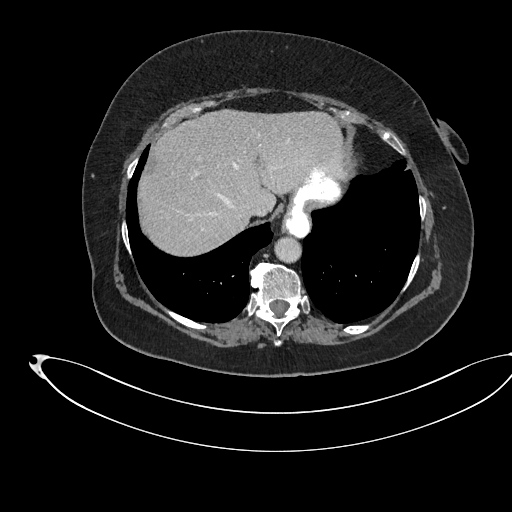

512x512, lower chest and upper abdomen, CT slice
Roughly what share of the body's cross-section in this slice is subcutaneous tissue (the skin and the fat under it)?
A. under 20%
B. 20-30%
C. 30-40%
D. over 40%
C. 30-40%
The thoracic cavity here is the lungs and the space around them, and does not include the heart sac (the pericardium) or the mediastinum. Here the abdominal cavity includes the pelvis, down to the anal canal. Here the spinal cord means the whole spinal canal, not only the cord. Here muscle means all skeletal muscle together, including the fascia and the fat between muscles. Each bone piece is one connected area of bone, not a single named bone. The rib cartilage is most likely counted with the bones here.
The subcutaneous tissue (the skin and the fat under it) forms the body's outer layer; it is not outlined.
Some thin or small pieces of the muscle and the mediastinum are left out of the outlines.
The spinal cord is outlined by 275 300; 282 300; 283 301; 285 301; 286 302; 287 302; 287 303; 288 304; 288 307; 287 308; 287 309; 283 313; 283 315; 282 316; 276 316; 275 315; 275 314; 274 313; 274 312; 270 308; 270 303; 271 302; 272 302. The mediastinum appears in 3 outlined pieces: piece 1: 358 124; 364 126; 376 134; 382 141; 391 147; 399 155; 398 157; 394 159; 386 167; 384 167; 376 172; 357 177; 357 172; 354 164; 352 145; 353 144; 353 139; 355 133; 355 128; 356 125; piece 2: 274 224; 282 224; 292 232; 298 232; 299 234; 303 234; 304 232; 307 232; 310 229; 310 224; 310 230; 303 238; 302 243; 300 275; 293 268; 280 262; 260 260; 250 267; 250 261; 253 255; 270 243; 273 237; 271 226; piece 3: 271 92; 286 93; 289 95; 300 98; 306 102; 320 108; 307 109; 299 111; 266 112; 265 111; 235 109; 234 108; 219 108; 218 107; 197 116; 188 117; 184 119; 182 118; 192 114; 195 114; 206 108; 209 108; 226 101. The torso is outlined by 232 29; 315 36; 367 54; 409 83; 431 115; 465 144; 469 161; 456 164; 474 219; 470 279; 449 321; 416 349; 342 371; 258 377; 148 356; 120 343; 100 322; 91 294; 81 189; 85 159; 103 116; 124 80; 152 54; 190 37. The muscle is outlined by 242 86; 273 87; 328 96; 355 107; 395 132; 406 144; 431 192; 435 232; 442 260; 442 281; 437 290; 369 336; 325 346; 292 342; 283 344; 280 336; 284 327; 301 313; 309 314; 311 307; 333 322; 344 325; 341 330; 346 334; 355 335; 368 330; 371 324; 363 322; 379 314; 394 301; 400 292; 403 293; 418 270; 421 260; 421 253; 417 251; 420 227; 426 217; 427 201; 425 196; 418 192; 413 173; 403 157; 407 151; 393 132; 379 128; 375 133; 358 123; 364 122; 365 119; 349 109; 332 107; 328 110; 286 92; 271 91; 237 97; 217 104; 212 99; 202 100; 171 112; 160 125; 165 129; 127 165; 125 218; 120 221; 120 234; 141 279; 153 296; 165 306; 162 307; 163 311; 175 321; 191 329; 205 330; 207 325; 204 323; 227 322; 243 311; 247 318; 254 316; 273 326; 277 337; 273 341; 274 345; 262 348; 219 347; 191 337; 122 297; 115 286; 113 263; 116 199; 126 156; 136 146; 146 128; 169 107; 196 96. The abdominal cavity is outlined by 218 108; 266 113; 324 109; 346 122; 357 123; 351 145; 356 178; 337 204; 311 212; 311 227; 310 223; 309 229; 303 233; 292 231; 282 223; 264 222; 244 229; 200 255; 179 257; 160 250; 141 231; 136 200; 149 144; 178 120. The thoracic cavity appears in 2 outlined pieces: piece 1: 400 155; 405 159; 407 167; 414 178; 418 193; 420 221; 417 250; 406 279; 393 301; 379 313; 361 323; 345 325; 335 322; 311 306; 310 298; 303 286; 301 277; 303 243; 304 238; 312 227; 312 212; 337 205; 354 180; 386 168; piece 2: 147 145; 136 186; 137 219; 141 233; 160 251; 179 258; 196 257; 215 250; 248 228; 270 225; 269 243; 249 261; 249 285; 255 290; 249 293; 242 311; 227 321; 200 322; 168 308; 154 296; 138 271; 128 235; 126 201; 129 181. The bones appear in 10 outlined pieces: piece 1: 260 261; 280 263; 296 271; 310 301; 309 313; 301 312; 283 327; 279 336; 282 344; 279 346; 274 344; 278 337; 274 326; 270 322; 254 315; 247 317; 246 312; 243 310; 248 303; 250 293; 256 290; 250 285; 249 270 with a hole at 275 300; 282 300; 283 301; 285 301; 286 302; 287 302; 287 303; 288 304; 288 307; 287 308; 287 309; 283 313; 283 315; 282 316; 276 316; 275 315; 275 314; 274 313; 274 312; 270 308; 270 303; 271 302; 272 302; piece 2: 210 100; 214 101; 216 104; 212 105; 209 107; 206 107; 195 113; 188 114; 187 115; 185 115; 183 117; 180 117; 174 123; 168 127; 163 128; 161 126; 164 120; 174 111; 185 106; 187 106; 190 104; 198 103; 202 101; 209 101; piece 3: 379 129; 382 129; 383 130; 389 131; 393 133; 398 138; 401 144; 405 149; 406 151; 406 154; 404 156; 402 156; 400 154; 399 154; 391 146; 390 146; 387 143; 386 143; 383 140; 382 140; 378 136; 377 134; 377 131; piece 4: 163 307; 166 307; 168 309; 186 318; 188 318; 193 321; 195 321; 196 322; 199 322; 200 323; 203 323; 206 325; 206 328; 205 329; 196 329; 195 328; 191 328; 190 327; 188 327; 178 322; 172 317; 171 317; 164 311; 163 309; piece 5: 332 108; 336 108; 337 109; 346 109; 347 110; 349 110; 351 112; 353 113; 355 113; 360 117; 363 118; 364 119; 364 121; 360 121; 359 122; 349 122; 348 121; 346 121; 340 118; 337 115; 336 115; 333 112; 332 112; 331 110; piece 6: 417 252; 419 252; 420 253; 420 260; 419 261; 419 265; 417 268; 417 270; 410 284; 408 286; 408 287; 403 292; 401 292; 401 290; 407 279; 407 277; 408 276; 408 274; 409 273; 409 271; 410 270; 411 265; 413 262; 413 260; piece 7: 363 323; 369 323; 370 324; 370 327; 368 329; 367 329; 363 332; 361 332; 360 333; 356 333; 355 334; 349 334; 348 333; 346 333; 345 332; 344 332; 342 330; 342 328; 346 325; 350 325; 351 324; 362 324; piece 8: 123 219; 125 219; 125 221; 126 222; 126 225; 127 226; 127 235; 129 239; 129 244; 130 245; 130 248; 132 252; 132 257; 133 258; 133 260; 129 255; 125 247; 125 245; 123 242; 123 240; 122 239; 122 235; 121 234; 121 221; piece 9: 419 194; 421 194; 422 195; 423 195; 424 196; 424 197; 425 198; 425 200; 426 201; 426 212; 425 213; 425 217; 424 218; 424 220; 422 222; 421 222; 421 221; 420 220; 420 215; 419 214; 419 198; 418 197; 418 196; 419 195; piece 10: 137 156; 138 156; 139 157; 139 158; 138 159; 138 161; 137 162; 137 164; 134 169; 134 171; 129 180; 128 179; 127 179; 127 178; 126 177; 126 173; 127 172; 127 168; 128 167; 128 165; 132 161; 132 160; 135 157; 136 157.